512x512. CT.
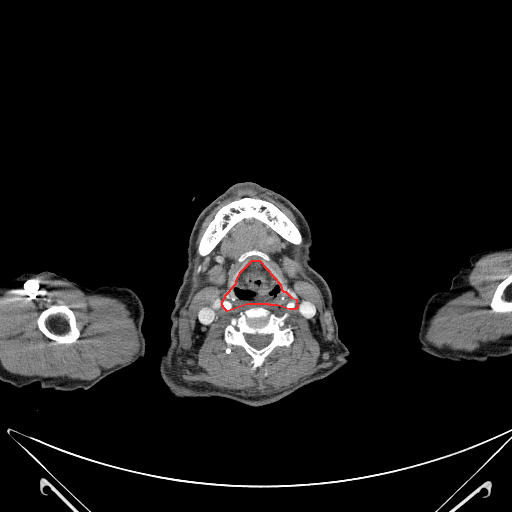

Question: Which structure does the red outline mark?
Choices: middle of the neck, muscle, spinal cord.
Answer: red: middle of the neck.
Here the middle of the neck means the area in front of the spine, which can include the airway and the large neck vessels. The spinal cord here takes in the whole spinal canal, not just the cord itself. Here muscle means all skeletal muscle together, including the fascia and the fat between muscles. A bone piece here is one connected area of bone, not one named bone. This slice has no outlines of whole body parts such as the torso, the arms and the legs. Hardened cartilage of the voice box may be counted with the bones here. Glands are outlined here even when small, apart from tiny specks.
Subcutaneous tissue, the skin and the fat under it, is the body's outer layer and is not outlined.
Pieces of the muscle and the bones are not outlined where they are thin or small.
The middle of the neck is outlined by 252,260 259,260 280,284 281,289 283,291 285,291 291,297 296,299 297,307 295,309 289,309 277,305 270,305 269,304 247,304 227,311 224,308 222,305 222,301 225,297 225,295 236,283 236,280 241,271. The spinal cord is outlined by 244,334 263,334 264,335 266,335 267,334 271,334 272,335 272,338 271,339 270,342 267,345 266,345 264,347 263,347 260,349 257,349 253,346 250,345 247,342 247,341 245,338 245,336 244,335. The submandibular glands appear in 2 outlined pieces: piece 1: 284,255 285,255 287,257 288,257 295,264 294,265 294,266 296,268 296,271 294,273 291,273 286,268 286,267 285,266 285,265 284,264 284,263 283,262 283,260 282,259 282,257; piece 2: 215,265 218,265 221,268 221,269 222,270 222,271 223,272 223,280 221,282 220,282 210,272 210,271 211,270 211,269. The bones appear in 5 outlined pieces: piece 1: 244,197 259,198 270,202 276,206 297,227 302,238 301,242 299,244 294,244 283,238 262,221 255,218 244,218 233,225 207,255 205,256 200,255 198,253 200,238 210,222 214,218 216,213 221,207 226,204; piece 2: 259,306 277,316 288,313 289,315 285,323 291,327 294,340 287,347 277,346 261,366 251,370 251,357 241,346 232,345 231,351 226,353 225,350 227,345 224,340 224,329 230,322 231,317 237,317 240,312, around a hole outlined by 244,334 263,334 264,335 266,335 267,334 271,334 272,335 272,338 271,339 270,342 267,345 266,345 264,347 263,347 260,349 257,349 253,346 250,345 247,342 247,341 245,338 245,336 244,335; piece 3: 52,305 66,305 68,306 75,314 77,320 77,324 78,327 80,329 80,336 75,342 69,344 60,344 57,343 54,340 47,337 39,329 37,324 37,319 39,317 40,314 44,310 49,308; piece 4: 511,274 511,312 492,312 491,311 490,311 490,308 489,307 489,302 490,301 490,299 492,296 492,294 493,293 493,292 494,291 495,288 497,286 497,285 501,281 503,281 505,278 508,277; piece 5: 250,250 261,251 269,257 268,265 280,278 281,283 294,295 282,289 281,284 263,263 262,258 257,255 251,255 246,259 247,263 240,271 235,283 232,284 235,273 242,265 242,263 238,261 238,258 241,254. The muscle appears in 3 outlined pieces: piece 1: 245,187 275,198 290,210 299,227 270,201 244,196 219,208 199,238 197,253 202,257 207,256 231,228 244,219 262,222 294,245 302,243 298,260 321,292 324,309 330,314 333,335 337,341 338,350 342,354 341,361 337,365 320,369 289,387 265,394 247,394 211,384 182,381 170,368 180,313 194,279 196,240 200,228 205,218 219,202 237,189, around holes outlined by 259,306 277,316 288,313 289,315 285,323 291,327 294,340 287,347 277,346 261,366 251,370 251,357 241,346 232,345 231,351 226,353 225,350 227,345 224,340 224,329 230,322 231,317 237,317 240,312 and by 250,250 261,251 269,257 268,265 280,278 281,283 293,293 294,295 290,296 297,301 297,307 295,309 269,304 247,304 227,311 224,308 222,301 233,285 232,282 235,273 242,265 238,261 238,258 241,254 and by 284,255 285,255 287,257 288,257 295,264 294,265 294,266 296,268 296,271 294,273 291,273 286,268 286,267 285,266 285,265 284,264 284,263 283,262 283,260 282,259 282,257 and by 215,265 218,265 221,268 221,269 222,270 222,271 223,272 223,280 221,282 220,282 210,272 210,271 211,270 211,269; piece 2: 38,277 55,278 80,289 87,295 101,294 113,296 123,301 127,305 139,332 140,346 133,359 125,364 117,364 113,367 102,369 100,374 92,380 71,379 65,376 22,376 6,370 0,363 0,296 18,282, around a hole outlined by 52,305 66,305 68,306 75,314 77,320 77,324 78,327 80,329 80,336 75,342 69,344 60,344 57,343 54,340 47,337 39,329 37,324 37,319 39,317 40,314 44,310 49,308; piece 3: 502,251 511,252 511,273 496,285 489,299 488,307 492,313 511,313 511,335 481,343 471,351 453,350 447,346 437,347 428,342 425,334 430,320 445,302 462,291 466,283 466,277 475,263 484,255.